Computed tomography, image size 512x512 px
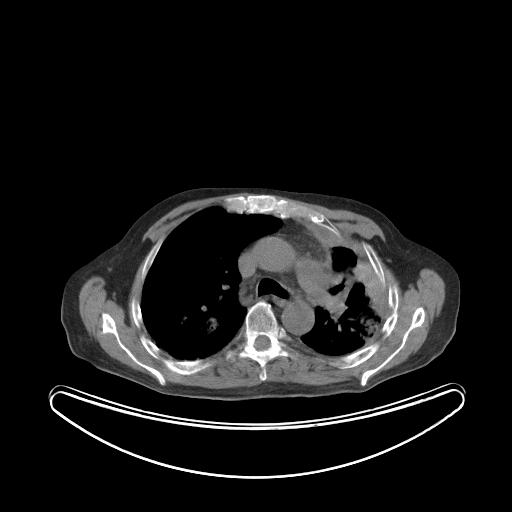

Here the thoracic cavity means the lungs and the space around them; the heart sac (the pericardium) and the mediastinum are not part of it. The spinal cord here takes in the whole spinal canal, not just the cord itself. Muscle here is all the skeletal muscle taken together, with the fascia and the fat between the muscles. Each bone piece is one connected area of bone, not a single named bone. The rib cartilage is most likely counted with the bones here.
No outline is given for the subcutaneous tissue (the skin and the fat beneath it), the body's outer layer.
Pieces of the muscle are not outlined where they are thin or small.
Outlines:
spinal cord: [[261,335],[263,336],[266,336],[269,339],[269,341],[270,342],[269,344],[269,346],[267,348],[265,349],[262,349],[261,350],[260,349],[257,349],[254,345],[254,343],[255,342],[255,340],[256,338],[258,336],[260,336]]
torso: [[198,187],[266,187],[315,192],[348,197],[373,206],[404,236],[435,251],[456,270],[460,304],[452,339],[443,352],[425,366],[390,378],[368,391],[316,397],[221,400],[168,395],[76,357],[69,348],[60,320],[62,294],[68,277],[119,241],[156,203]]
thoracic cavity 1: [[217,205],[229,213],[272,215],[281,220],[281,225],[275,231],[248,243],[238,254],[236,265],[240,282],[237,296],[239,303],[246,308],[238,332],[219,351],[209,356],[191,360],[175,359],[156,344],[145,327],[141,309],[143,285],[169,234],[196,212]]
thoracic cavity 2: [[298,218],[305,219],[338,238],[341,237],[353,246],[365,257],[377,281],[384,288],[387,298],[386,318],[371,343],[340,356],[331,356],[319,353],[300,344],[301,337],[307,334],[314,326],[316,306],[320,297],[327,289],[327,274],[326,255],[321,242]]
bones 1: [[258,301],[264,301],[271,306],[277,323],[295,343],[294,348],[297,351],[293,358],[276,356],[269,360],[265,365],[266,379],[264,381],[259,377],[261,368],[255,360],[249,357],[237,357],[230,360],[225,357],[226,352],[221,350],[239,332],[247,309]] with a hole at [[261,335],[263,336],[266,336],[269,339],[269,341],[270,342],[269,344],[269,346],[267,348],[265,349],[262,349],[261,350],[260,349],[257,349],[254,345],[254,343],[255,342],[255,340],[256,338],[258,336],[260,336]]
bones 2: [[250,194],[269,194],[275,196],[277,199],[285,199],[295,204],[302,205],[315,210],[323,214],[337,228],[341,236],[338,237],[308,219],[301,217],[280,218],[272,214],[266,213],[229,212],[222,206],[223,201],[227,197],[235,197],[240,195],[246,197]]
bones 3: [[141,335],[144,335],[151,339],[161,349],[162,351],[160,353],[161,358],[167,358],[168,359],[172,358],[175,360],[189,360],[191,361],[208,357],[212,364],[204,369],[188,375],[173,372],[168,369],[159,358],[157,359],[153,357],[146,350],[140,340]]
bones 4: [[418,307],[422,307],[424,310],[424,320],[421,325],[413,328],[410,331],[407,336],[403,347],[386,364],[376,372],[372,374],[367,379],[365,385],[362,386],[360,384],[360,380],[362,373],[379,365],[400,345],[402,341],[403,335],[411,323],[413,313]]
bones 5: [[375,342],[377,342],[379,344],[379,346],[377,350],[368,359],[356,366],[354,366],[350,368],[340,368],[337,366],[330,364],[330,360],[331,359],[330,358],[332,357],[340,357],[341,356],[344,356],[345,355],[350,354],[365,346],[367,346]]
bones 6: [[104,312],[109,314],[114,320],[116,330],[121,342],[138,360],[146,365],[158,370],[165,379],[165,385],[160,384],[158,379],[149,370],[133,361],[127,353],[121,348],[115,336],[111,332],[104,333],[102,331],[102,324],[103,323],[102,321],[102,313]]
bones 7: [[390,284],[395,284],[397,286],[397,291],[398,292],[398,307],[397,308],[397,319],[394,325],[394,327],[389,334],[389,335],[383,338],[383,334],[380,331],[380,330],[384,322],[386,320],[387,317],[390,314],[391,312],[391,310],[388,307],[388,286]]
bones 8: [[362,242],[366,242],[368,243],[373,248],[381,264],[381,266],[382,267],[382,269],[384,273],[384,278],[385,279],[385,284],[386,285],[384,287],[383,287],[378,281],[369,263],[369,261],[367,258],[367,256],[362,246]]
bones 9: [[161,237],[164,237],[164,240],[162,242],[153,260],[153,262],[147,272],[147,274],[145,277],[145,279],[143,282],[143,284],[142,284],[142,282],[141,281],[141,274],[142,273],[142,267],[143,266],[146,255],[148,253],[149,250],[152,247],[152,246]]
bones 10: [[133,298],[135,298],[140,302],[140,309],[141,310],[141,315],[142,316],[142,319],[143,320],[143,324],[144,325],[144,326],[143,327],[142,326],[140,328],[138,328],[136,326],[136,325],[133,320],[133,318],[132,317],[132,314],[131,313],[131,300]]
mediastinum: [[288,218],[297,218],[317,238],[325,255],[326,289],[315,306],[313,326],[300,337],[299,344],[292,340],[278,323],[272,306],[268,302],[258,300],[247,308],[240,303],[238,296],[241,275],[237,260],[240,252],[254,240],[275,232],[282,225],[281,219]]
muscle 1: [[375,250],[403,290],[422,268],[433,269],[444,281],[440,314],[420,348],[401,363],[376,374],[366,385],[368,379],[404,347],[411,331],[424,322],[425,310],[418,306],[399,345],[379,364],[361,373],[360,385],[265,381],[267,363],[276,357],[293,359],[298,354],[296,344],[330,356],[329,364],[340,369],[356,367],[378,350],[380,344],[372,341],[380,332],[383,339],[388,337],[394,329],[399,292],[398,286],[390,283],[387,297],[385,273]]
muscle 2: [[145,256],[140,274],[141,299],[130,300],[135,326],[144,327],[150,337],[139,336],[145,350],[171,372],[185,376],[211,366],[209,357],[224,351],[224,357],[230,361],[237,358],[255,361],[262,382],[229,388],[166,385],[158,369],[138,359],[122,342],[115,320],[104,311],[101,331],[111,333],[132,361],[149,371],[157,381],[111,357],[90,337],[78,304],[84,282],[94,275],[101,276],[114,299],[126,308],[134,276]]
muscle 3: [[274,195],[318,204],[332,209],[345,209],[364,215],[373,220],[381,228],[385,236],[385,240],[383,241],[379,238],[373,239],[370,242],[373,247],[368,242],[362,241],[361,246],[366,258],[360,251],[342,237],[338,228],[323,213],[285,198],[277,198]]
muscle 4: [[242,192],[250,193],[246,196],[241,194],[235,196],[227,196],[222,201],[221,205],[211,205],[196,211],[177,225],[165,238],[164,236],[161,236],[152,245],[149,239],[146,239],[144,241],[142,240],[144,233],[152,224],[166,213],[183,203],[197,199]]